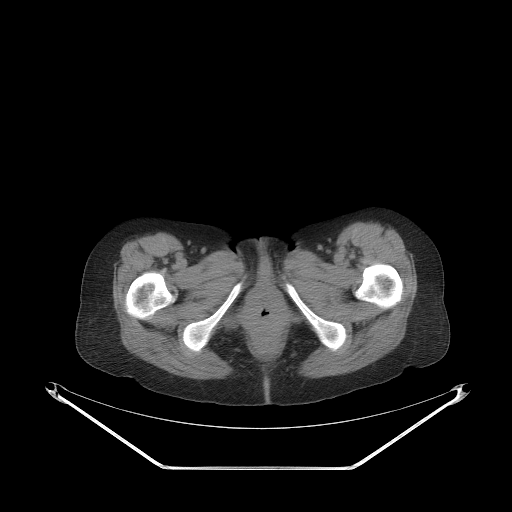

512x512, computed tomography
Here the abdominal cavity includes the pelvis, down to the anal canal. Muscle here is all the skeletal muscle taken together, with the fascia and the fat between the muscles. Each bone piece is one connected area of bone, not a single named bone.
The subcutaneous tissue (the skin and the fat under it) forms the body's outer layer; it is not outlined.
Outlined structures:
abdominal cavity: (271, 289) (280, 294) (285, 301) (286, 312) (287, 313) (287, 325) (285, 326) (285, 329) (283, 331) (283, 336) (281, 340) (281, 343) (275, 353) (270, 357) (261, 357) (254, 351) (250, 343) (248, 334) (246, 332) (245, 306) (249, 296) (254, 291) (256, 290) (270, 290)
bones 1: (147, 271) (154, 271) (161, 274) (163, 276) (167, 288) (175, 296) (175, 301) (173, 303) (167, 305) (165, 307) (158, 309) (148, 320) (141, 320) (128, 314) (126, 312) (125, 310) (125, 306) (124, 305) (125, 303) (125, 295) (129, 288) (131, 282) (137, 276)
bones 2: (375, 263) (384, 263) (385, 264) (389, 264) (394, 267) (398, 272) (403, 283) (403, 292) (402, 293) (402, 298) (401, 300) (394, 306) (384, 310) (374, 303) (357, 299) (354, 295) (355, 291) (360, 285) (362, 281) (362, 273) (364, 268) (369, 265) (371, 265)
bones 3: (285, 283) (289, 283) (291, 284) (296, 290) (300, 298) (307, 305) (307, 306) (318, 316) (326, 320) (339, 322) (344, 326) (346, 330) (346, 338) (344, 343) (340, 347) (336, 350) (333, 351) (327, 346) (324, 345) (318, 339) (318, 337) (312, 325) (284, 289) (283, 285)
bones 4: (238, 282) (242, 282) (242, 289) (241, 291) (237, 295) (219, 321) (212, 329) (211, 335) (207, 343) (199, 352) (193, 351) (188, 348) (185, 345) (182, 338) (182, 333) (185, 326) (191, 322) (202, 320) (210, 316) (222, 304) (226, 299) (232, 288)
torso: (366, 205) (403, 213) (438, 249) (450, 323) (449, 347) (439, 361) (408, 367) (384, 383) (318, 402) (224, 406) (153, 392) (131, 378) (90, 366) (77, 353) (74, 330) (84, 265) (94, 245) (117, 223) (161, 216) (219, 226) (236, 239) (261, 234) (285, 238) (306, 224)
muscle: (368, 218) (401, 232) (417, 268) (417, 291) (405, 336) (395, 349) (374, 362) (340, 375) (299, 376) (296, 367) (316, 348) (315, 334) (300, 322) (289, 328) (282, 353) (273, 363) (256, 359) (240, 332) (217, 332) (209, 346) (236, 370) (224, 379) (200, 380) (170, 373) (131, 354) (122, 344) (113, 308) (113, 267) (119, 246) (131, 236) (161, 230) (196, 255) (229, 250) (254, 277) (264, 280) (275, 276) (286, 255) (297, 249) (328, 255) (344, 227) with holes at (271, 289) (280, 294) (285, 301) (286, 312) (287, 313) (287, 325) (285, 326) (285, 329) (283, 331) (283, 336) (281, 340) (281, 343) (275, 353) (270, 357) (261, 357) (254, 351) (250, 343) (248, 334) (246, 332) (245, 306) (249, 296) (254, 291) (256, 290) (270, 290) and at (147, 271) (154, 271) (161, 274) (163, 276) (167, 288) (175, 296) (175, 301) (173, 303) (167, 305) (165, 307) (158, 309) (148, 320) (141, 320) (128, 314) (126, 312) (125, 310) (125, 306) (124, 305) (125, 303) (125, 295) (129, 288) (131, 282) (137, 276) and at (375, 263) (384, 263) (385, 264) (389, 264) (394, 267) (398, 272) (403, 283) (403, 292) (402, 293) (402, 298) (401, 300) (394, 306) (384, 310) (374, 303) (357, 299) (354, 295) (355, 291) (360, 285) (362, 281) (362, 273) (364, 268) (369, 265) (371, 265) and at (285, 283) (289, 283) (291, 284) (296, 290) (300, 298) (307, 305) (307, 306) (318, 316) (326, 320) (339, 322) (344, 326) (346, 330) (346, 338) (344, 343) (340, 347) (336, 350) (333, 351) (327, 346) (324, 345) (318, 339) (318, 337) (312, 325) (284, 289) (283, 285) and at (238, 282) (242, 282) (242, 289) (241, 291) (237, 295) (219, 321) (212, 329) (211, 335) (207, 343) (199, 352) (193, 351) (188, 348) (185, 345) (182, 338) (182, 333) (185, 326) (191, 322) (202, 320) (210, 316) (222, 304) (226, 299) (232, 288)